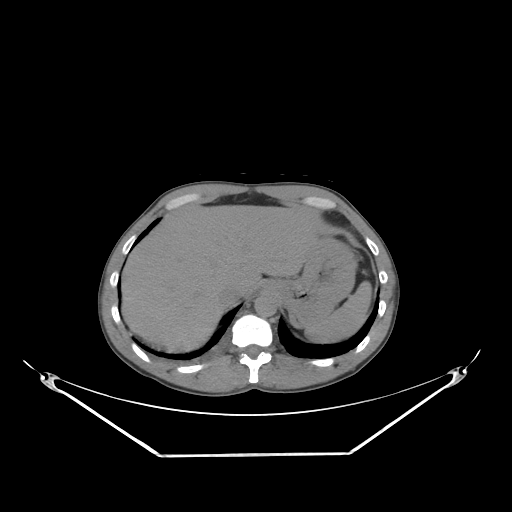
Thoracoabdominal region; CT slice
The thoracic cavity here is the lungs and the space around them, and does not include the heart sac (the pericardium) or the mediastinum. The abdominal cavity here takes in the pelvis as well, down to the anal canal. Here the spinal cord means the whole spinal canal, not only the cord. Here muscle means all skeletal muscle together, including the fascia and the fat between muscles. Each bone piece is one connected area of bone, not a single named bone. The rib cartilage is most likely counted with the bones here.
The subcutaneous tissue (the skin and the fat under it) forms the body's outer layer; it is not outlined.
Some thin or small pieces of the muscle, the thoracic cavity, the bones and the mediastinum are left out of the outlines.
{"spinal_cord":[[[251,344],[254,344],[255,345],[257,345],[258,346],[259,346],[260,347],[263,348],[263,350],[262,350],[257,355],[257,356],[255,358],[252,358],[251,357],[250,357],[246,353],[245,353],[242,350],[245,347],[246,347],[247,346],[248,346]]],"muscle":[[[200,184],[306,185],[329,191],[344,201],[378,238],[394,274],[392,315],[376,348],[352,369],[326,381],[296,388],[258,384],[260,367],[273,357],[269,348],[274,340],[290,355],[308,358],[309,364],[318,367],[328,367],[335,362],[334,357],[352,349],[357,354],[367,346],[376,317],[381,318],[387,307],[386,301],[379,296],[380,284],[388,281],[388,274],[382,268],[377,271],[374,261],[374,256],[380,253],[379,247],[368,236],[363,238],[346,216],[334,209],[337,203],[328,197],[308,195],[299,202],[258,192],[243,192],[203,200],[199,192],[188,192],[169,199],[164,205],[166,211],[123,243],[120,251],[124,257],[120,268],[113,270],[108,279],[117,296],[117,303],[110,306],[110,314],[117,325],[122,323],[127,330],[133,340],[130,347],[139,358],[150,363],[151,356],[177,366],[175,370],[182,374],[207,367],[209,364],[204,362],[217,356],[230,340],[238,350],[238,362],[248,368],[249,383],[223,392],[192,389],[167,381],[122,354],[109,337],[102,316],[102,291],[109,262],[124,236],[164,196]]],"mediastinum":[[[262,288],[268,288],[274,292],[276,292],[279,296],[279,303],[281,307],[282,317],[279,318],[276,331],[273,331],[270,323],[266,319],[253,313],[245,313],[242,314],[233,321],[233,319],[240,307],[240,304],[246,298],[248,298],[251,296],[254,292]],[[326,210],[335,210],[341,213],[344,216],[345,216],[345,217],[349,221],[351,225],[359,233],[361,237],[364,240],[367,247],[373,255],[373,258],[369,250],[362,244],[359,238],[354,232],[337,225],[335,223],[332,222],[326,217],[325,213],[324,212]]],"torso":[[[208,179],[321,184],[343,194],[380,234],[398,272],[399,306],[386,344],[355,375],[307,392],[274,394],[252,389],[232,396],[206,397],[176,391],[140,375],[109,348],[99,326],[96,297],[101,272],[112,247],[128,225],[160,193],[182,183]]],"bones":[{"outer":[[245,314],[253,314],[266,320],[269,323],[273,334],[273,341],[268,348],[272,357],[268,362],[262,364],[259,367],[257,373],[258,381],[256,383],[249,382],[249,368],[245,364],[239,362],[239,350],[235,345],[231,343],[231,326],[236,319]],"hole":[[251,344],[254,344],[255,345],[257,345],[258,346],[259,346],[260,347],[263,348],[263,350],[262,350],[257,355],[257,356],[255,358],[252,358],[251,357],[250,357],[246,353],[245,353],[242,350],[245,347],[246,347],[247,346],[248,346]]},[[188,193],[199,193],[201,196],[201,198],[199,200],[190,201],[187,203],[180,205],[178,207],[176,207],[173,209],[170,209],[169,210],[167,210],[165,208],[165,205],[166,203],[172,198],[174,198],[175,197],[177,197],[184,194],[187,194]],[[308,196],[316,196],[317,197],[322,197],[323,198],[328,198],[334,201],[336,203],[336,206],[335,208],[333,209],[322,209],[318,207],[315,207],[311,205],[308,205],[302,202],[302,200],[305,197],[307,197]],[[200,363],[207,363],[208,364],[207,366],[195,372],[191,372],[190,373],[182,373],[176,370],[176,368],[178,366],[182,366],[183,365],[193,365],[194,364],[199,364]],[[331,357],[333,357],[334,358],[334,362],[332,364],[331,364],[330,365],[329,365],[328,366],[318,366],[317,365],[314,365],[313,364],[311,364],[310,363],[309,363],[308,362],[308,361],[310,359],[321,359],[322,358],[330,358]],[[133,341],[134,342],[135,342],[137,344],[137,345],[142,350],[143,350],[147,354],[147,355],[149,357],[149,358],[150,359],[150,362],[146,362],[144,360],[143,360],[140,357],[139,357],[134,352],[134,351],[132,349],[132,348],[131,347],[131,343]],[[134,234],[137,235],[137,237],[136,238],[135,241],[133,243],[133,244],[132,245],[131,248],[129,250],[129,251],[125,255],[124,255],[122,253],[122,252],[121,251],[121,250],[122,249],[122,247],[123,246],[124,243],[132,235],[133,235]],[[365,237],[368,237],[370,239],[371,239],[377,245],[377,246],[378,247],[378,249],[379,250],[379,253],[378,254],[378,255],[375,256],[372,253],[372,252],[368,247],[368,246],[367,245],[367,244],[366,243],[366,242],[364,239],[364,238]],[[369,332],[369,335],[370,336],[370,338],[369,339],[369,341],[368,342],[368,343],[366,345],[366,346],[361,351],[360,351],[359,352],[358,352],[357,353],[355,353],[355,352],[354,351],[354,349],[355,348],[355,347],[363,339],[363,338]],[[116,303],[117,304],[117,306],[118,307],[118,310],[119,311],[119,315],[120,316],[120,319],[121,320],[121,322],[119,324],[117,324],[114,321],[114,320],[113,319],[113,318],[112,317],[112,315],[111,314],[111,306],[113,304],[115,304]],[[115,270],[117,270],[118,271],[119,271],[119,277],[118,278],[118,281],[117,282],[117,285],[116,286],[116,288],[114,288],[113,287],[112,287],[110,285],[110,283],[109,282],[109,279],[110,278],[110,276],[111,275],[111,274],[112,273],[112,272]]],"thoracic_cavity":[[[378,296],[379,298],[377,303],[376,316],[368,332],[353,348],[344,353],[321,358],[298,357],[287,352],[278,341],[274,339],[273,332],[277,331],[280,318],[282,318],[291,334],[295,338],[306,344],[330,345],[344,342],[355,335],[366,323],[374,309]],[[237,306],[239,307],[232,319],[232,323],[230,326],[231,332],[230,339],[217,355],[206,361],[182,365],[167,363],[165,361],[152,357],[151,355],[148,355],[134,341],[135,340],[154,351],[166,354],[187,354],[199,350],[212,338],[220,327],[224,316]],[[162,214],[163,214],[162,217],[161,218],[159,218],[158,219],[158,221],[133,246],[133,247],[132,248],[132,247],[133,246],[134,243],[136,241],[136,240],[137,239],[138,236],[150,224],[150,223],[152,221],[153,221],[158,216],[159,216]]],"abdominal_cavity":[[[243,193],[263,194],[325,210],[327,219],[355,234],[370,253],[379,282],[379,295],[365,323],[344,341],[306,343],[286,325],[279,294],[262,287],[228,311],[199,349],[166,353],[134,339],[121,319],[118,306],[120,270],[128,254],[165,212],[190,202]]]}